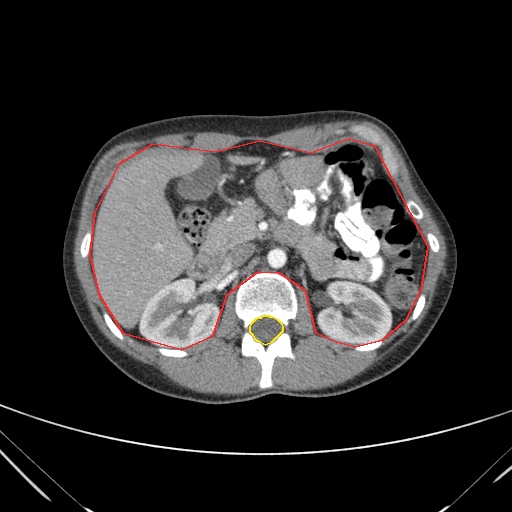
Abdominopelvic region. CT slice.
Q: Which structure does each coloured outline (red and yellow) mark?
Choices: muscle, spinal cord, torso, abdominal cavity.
A: red: abdominal cavity; yellow: spinal cord.
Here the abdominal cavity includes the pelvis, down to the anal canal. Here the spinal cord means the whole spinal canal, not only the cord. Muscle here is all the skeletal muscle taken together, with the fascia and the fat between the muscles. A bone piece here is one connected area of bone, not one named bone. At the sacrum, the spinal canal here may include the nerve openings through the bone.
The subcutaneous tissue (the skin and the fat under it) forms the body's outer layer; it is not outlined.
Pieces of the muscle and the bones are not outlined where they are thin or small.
The abdominal cavity is outlined by (181, 349) (213, 335) (227, 294) (258, 271) (278, 272) (304, 289) (315, 332) (336, 341) (355, 346) (383, 339) (406, 319) (421, 290) (428, 246) (375, 146) (348, 139) (310, 153) (259, 141) (215, 152) (152, 144) (118, 164) (94, 212) (89, 254) (98, 293) (122, 332). The spinal cord is outlined by (265, 344) (272, 341) (283, 330) (283, 326) (282, 324) (278, 320) (272, 317) (270, 317) (269, 316) (263, 316) (260, 318) (257, 318) (255, 319) (250, 324) (249, 326) (249, 331) (252, 334) (254, 338) (256, 340) (258, 340). The muscle is outlined by (217, 395) (260, 389) (260, 364) (256, 358) (243, 357) (239, 351) (243, 329) (234, 312) (234, 288) (225, 301) (214, 335) (187, 348) (185, 357) (164, 356) (156, 348) (125, 334) (125, 340) (121, 341) (104, 322) (105, 308) (93, 281) (89, 255) (83, 259) (79, 255) (79, 245) (84, 233) (92, 228) (95, 205) (117, 164) (152, 143) (215, 151) (240, 141) (259, 140) (313, 152) (348, 138) (369, 143) (348, 130) (353, 124) (364, 124) (380, 133) (399, 165) (398, 173) (392, 178) (404, 197) (413, 199) (421, 207) (424, 217) (417, 221) (426, 239) (428, 231) (438, 238) (440, 250) (434, 253) (428, 249) (421, 291) (426, 295) (426, 303) (421, 314) (412, 322) (410, 315) (372, 351) (356, 351) (354, 346) (317, 335) (307, 294) (297, 288) (298, 312) (288, 328) (296, 358) (275, 358) (272, 387) (320, 389) (359, 375) (402, 345) (425, 317) (438, 279) (445, 272) (444, 237) (430, 209) (416, 192) (399, 150) (372, 122) (337, 120) (269, 136) (187, 131) (126, 139) (107, 150) (95, 165) (82, 198) (73, 252) (76, 276) (95, 323) (113, 345) (135, 360) (157, 369) (180, 386). The bones appear in 7 outlined pieces: piece 1: (261, 389) (272, 386) (271, 368) (275, 357) (295, 358) (287, 328) (289, 321) (295, 318) (297, 312) (297, 297) (289, 280) (275, 272) (258, 272) (248, 276) (240, 283) (235, 296) (235, 312) (243, 322) (244, 329) (240, 351) (243, 356) (256, 357) (261, 364) (259, 382), around a hole outlined by (265, 344) (272, 341) (283, 330) (283, 326) (282, 324) (278, 320) (272, 317) (270, 317) (269, 316) (263, 316) (260, 318) (257, 318) (255, 319) (250, 324) (249, 326) (249, 331) (252, 334) (254, 338) (256, 340) (258, 340); piece 2: (391, 177) (393, 177) (397, 173) (398, 171) (398, 165) (397, 164) (396, 159) (394, 157) (389, 145) (382, 138) (379, 133) (370, 127) (368, 127) (364, 125) (353, 125) (351, 126) (349, 128) (349, 130) (351, 132) (356, 133) (373, 145) (375, 145) (379, 148) (386, 171); piece 3: (418, 220) (419, 219) (421, 219) (423, 217) (423, 212) (422, 211) (422, 210) (420, 208) (420, 207) (413, 200) (412, 200) (411, 199) (406, 199) (406, 200) (405, 201) (405, 205) (406, 206) (406, 209) (408, 211) (408, 212) (414, 218) (415, 218) (416, 219) (417, 219); piece 4: (121, 340) (124, 340) (125, 337) (123, 335) (121, 331) (118, 328) (118, 327) (111, 319) (111, 318) (109, 316) (107, 312) (104, 311) (103, 312) (103, 317) (105, 320) (105, 322) (106, 324) (108, 326) (108, 327) (110, 329) (112, 333) (115, 336) (116, 336) (119, 339); piece 5: (83, 258) (85, 258) (88, 255) (88, 253) (89, 252) (89, 246) (90, 245) (90, 242) (91, 241) (91, 229) (89, 229) (85, 233) (85, 234) (84, 235) (84, 236) (83, 237) (83, 238) (82, 239) (82, 241) (81, 242) (81, 244) (80, 245) (80, 255); piece 6: (410, 321) (412, 321) (417, 318) (417, 317) (420, 314) (420, 313) (424, 306) (424, 304) (425, 303) (425, 295) (423, 293) (421, 293) (418, 298) (418, 300) (416, 303) (416, 305) (412, 312) (412, 314) (411, 315) (411, 317) (410, 318); piece 7: (175, 357) (181, 357) (182, 356) (185, 356) (186, 355) (187, 355) (187, 353) (184, 350) (181, 350) (180, 349) (169, 349) (168, 348) (158, 348) (158, 350) (159, 351) (159, 352) (160, 352) (162, 354) (163, 354) (164, 355) (166, 355) (167, 356) (174, 356). The torso is outlined by (207, 404) (240, 402) (274, 393) (315, 398) (355, 390) (399, 368) (435, 326) (455, 279) (454, 234) (401, 140) (381, 119) (348, 109) (273, 115) (180, 115) (121, 130) (104, 142) (91, 159) (73, 199) (62, 247) (63, 276) (73, 309) (97, 348) (129, 378) (155, 392).